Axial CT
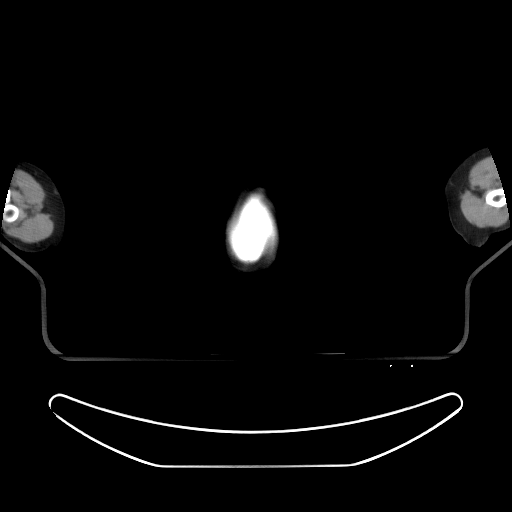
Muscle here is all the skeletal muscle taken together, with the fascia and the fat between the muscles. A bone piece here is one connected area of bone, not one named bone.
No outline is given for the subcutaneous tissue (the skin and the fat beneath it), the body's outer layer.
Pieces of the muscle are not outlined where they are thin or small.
muscle 1: 19,169 29,173 43,187 46,193 45,210 51,214 51,218 54,223 52,233 48,237 34,243 24,243 9,236 2,227 2,221 11,223 15,221 20,215 20,209 11,201 10,189 10,183 14,178 16,171
muscle 2: 487,156 493,160 497,171 498,179 501,185 499,187 488,189 484,194 484,201 487,205 495,208 506,207 507,220 504,224 497,227 478,229 469,224 464,218 459,206 459,193 467,186 467,175 471,166 478,160
muscle 3: 278,236 278,242 277,247 273,257 267,261 262,261 253,265 243,265 241,263 234,260 229,255 226,247 226,240 229,250 236,260 241,263 251,264 255,263 261,259 268,247 270,245 275,243 275,242 278,238
muscle 4: 258,188 261,188 265,192 265,194 273,205 273,212 269,205 264,200 263,196 260,193 255,191 251,191 245,196 237,211 231,216 226,229 227,222 230,218 230,216 232,214 234,207 236,205 238,200 244,194
head and neck: 259,184 261,184 267,188 275,207 275,213 279,226 280,235 279,253 277,260 271,269 256,274 238,274 232,271 226,265 224,261 226,260 226,253 224,248 224,228 226,220 232,209 234,201 238,193 246,187
right arm: 20,160 29,161 41,167 51,177 55,183 64,203 65,228 63,237 60,243 56,247 50,248 45,251 36,253 29,253 22,251 7,241 2,235 3,220 2,214 5,200 8,189 10,187 14,170 17,163
bones 1: 251,192 255,192 260,194 262,196 263,200 272,211 275,216 275,219 277,223 278,235 274,243 270,244 267,247 259,260 249,263 248,262 241,262 236,259 233,255 226,239 226,230 232,216 238,211 246,196
bones 2: 501,186 503,188 503,191 505,195 505,201 506,202 506,206 502,206 501,207 495,207 494,206 492,206 491,205 489,205 487,204 485,201 485,194 486,192 488,190 491,190 492,189 499,188
bones 3: 9,188 10,190 10,201 19,209 19,215 18,217 15,220 11,222 6,222 3,220 2,218 2,214 3,213 3,209 4,208 4,205 5,204 5,200 7,196 7,192
left arm: 484,146 488,148 491,154 491,157 497,171 501,186 503,188 509,219 509,227 506,230 493,233 483,245 480,247 476,247 466,243 462,237 454,230 448,215 447,204 444,196 444,187 447,179 456,166 469,154